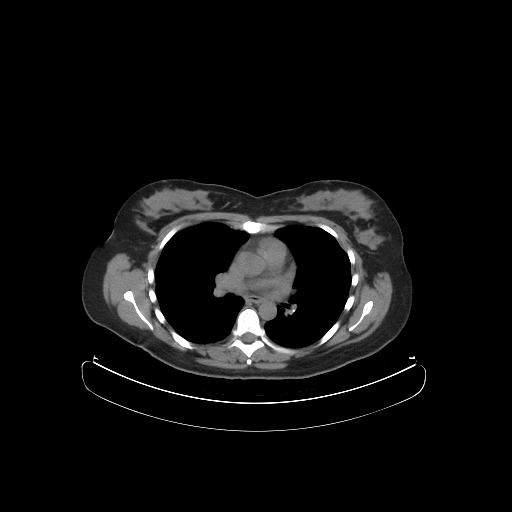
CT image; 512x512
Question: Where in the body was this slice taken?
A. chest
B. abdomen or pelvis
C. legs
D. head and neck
Answer: A. chest
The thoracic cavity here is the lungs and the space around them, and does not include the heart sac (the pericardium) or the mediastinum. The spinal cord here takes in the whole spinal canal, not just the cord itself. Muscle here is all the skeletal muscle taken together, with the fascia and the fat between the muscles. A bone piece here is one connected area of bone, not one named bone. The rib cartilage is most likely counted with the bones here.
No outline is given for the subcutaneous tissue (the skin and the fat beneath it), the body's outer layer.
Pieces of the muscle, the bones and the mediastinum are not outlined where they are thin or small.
{"bones":[{"outer":[[244,308],[252,308],[255,310],[260,324],[271,341],[280,346],[293,349],[295,352],[293,354],[282,353],[264,345],[252,353],[250,356],[251,363],[247,364],[246,355],[238,347],[233,346],[228,348],[226,345],[230,341],[231,331],[236,324],[239,312]],"hole":[[247,332],[249,332],[250,333],[251,333],[252,334],[253,334],[256,337],[256,338],[253,341],[252,341],[251,342],[250,342],[249,343],[247,343],[246,342],[244,342],[241,339],[241,336],[243,334],[244,334],[245,333],[246,333]]},[[247,220],[251,220],[252,221],[256,221],[257,222],[262,222],[263,223],[267,223],[268,224],[281,224],[283,225],[283,226],[271,232],[248,233],[246,231],[242,230],[241,229],[235,229],[231,227],[228,224],[229,222],[238,222],[239,223],[241,223]],[[127,290],[130,290],[133,293],[133,297],[134,298],[134,300],[139,310],[153,326],[153,329],[152,330],[151,330],[149,328],[149,327],[138,315],[138,314],[135,310],[135,308],[133,304],[131,302],[126,300],[123,297],[123,294],[124,292],[125,292]],[[171,330],[174,330],[179,335],[180,335],[185,339],[193,343],[193,344],[195,345],[195,348],[193,349],[189,349],[188,348],[186,348],[185,347],[183,347],[181,346],[174,340],[170,332]],[[369,300],[371,300],[373,302],[373,304],[372,305],[372,307],[370,311],[364,316],[362,320],[351,331],[348,330],[348,328],[350,326],[354,324],[358,320],[358,319],[360,317],[362,313],[362,310],[363,309],[363,306],[364,304]],[[337,320],[338,320],[340,322],[340,324],[339,325],[338,328],[336,330],[336,331],[331,336],[331,337],[330,337],[325,342],[324,342],[321,345],[319,345],[318,346],[316,346],[316,345],[317,344],[318,341],[320,339],[320,338],[335,323],[335,322]],[[178,225],[181,225],[182,226],[181,228],[178,231],[177,231],[166,242],[166,243],[163,246],[162,249],[161,250],[159,250],[158,249],[158,245],[160,243],[160,242],[162,240],[164,236],[173,227],[175,226],[177,226]],[[318,223],[322,223],[323,224],[325,224],[326,225],[329,226],[331,228],[332,228],[337,233],[337,234],[338,235],[338,238],[337,239],[327,231],[324,230],[322,228],[320,228],[319,227],[316,226],[316,225]],[[351,294],[352,294],[354,296],[354,300],[353,301],[353,303],[352,304],[352,305],[351,306],[350,309],[348,311],[345,311],[344,310],[344,306],[345,305],[345,303],[346,302],[346,301],[347,300],[347,299],[348,298],[349,295],[350,295]],[[155,307],[158,307],[159,308],[159,309],[160,310],[160,311],[162,313],[162,314],[164,316],[164,317],[166,320],[166,322],[165,323],[161,323],[159,321],[159,320],[157,318],[157,317],[156,316],[156,315],[154,312],[154,309],[155,308]],[[150,267],[151,267],[152,268],[153,268],[154,269],[154,283],[153,284],[150,284],[149,283],[149,282],[148,281],[148,279],[147,278],[147,272],[148,271],[148,269]],[[348,248],[351,248],[352,249],[352,250],[353,251],[353,253],[354,254],[354,257],[355,258],[355,262],[354,263],[354,264],[353,264],[352,265],[350,262],[350,260],[349,259],[349,257],[348,256],[348,255],[346,252],[346,249],[347,249]],[[150,288],[152,288],[153,289],[154,289],[154,291],[155,292],[155,295],[156,296],[156,299],[157,300],[157,301],[155,303],[153,303],[150,300],[150,298],[149,297],[149,294],[148,293],[148,291],[149,290],[149,289]]],"spinal_cord":[[[247,332],[249,332],[250,333],[251,333],[252,334],[253,334],[256,337],[256,338],[253,341],[252,341],[251,342],[250,342],[249,343],[247,343],[246,342],[244,342],[241,339],[241,336],[243,334],[244,334],[245,333],[246,333]]],"thoracic_cavity":[[[204,222],[226,224],[235,230],[246,232],[248,237],[236,250],[225,271],[228,276],[226,282],[228,290],[243,300],[235,324],[228,337],[219,341],[200,343],[185,338],[167,321],[159,307],[155,291],[155,268],[164,246],[177,232]],[[293,224],[317,227],[335,238],[348,257],[351,280],[348,296],[343,309],[334,323],[318,340],[304,346],[291,348],[271,340],[266,333],[264,325],[277,316],[278,305],[295,292],[293,287],[297,271],[295,259],[288,246],[275,236],[276,230],[286,225]]],"pericardium":[[[267,236],[271,236],[277,238],[287,246],[295,263],[295,271],[293,272],[290,279],[281,288],[279,288],[266,295],[261,295],[259,293],[251,291],[243,283],[242,278],[240,276],[235,265],[235,258],[238,252],[244,246],[253,240],[256,240],[259,238]]],"muscle":[{"outer":[[206,211],[219,211],[220,212],[232,212],[233,213],[246,214],[253,219],[263,215],[267,216],[268,215],[284,215],[285,214],[291,214],[292,215],[293,214],[307,214],[308,215],[316,215],[317,216],[325,217],[335,222],[345,230],[347,235],[352,240],[354,246],[362,259],[363,263],[372,273],[375,274],[379,271],[386,271],[388,272],[390,276],[392,283],[391,301],[388,310],[381,323],[372,333],[359,341],[341,346],[336,349],[321,354],[320,356],[317,356],[315,358],[310,358],[305,361],[296,361],[293,363],[289,363],[286,366],[277,369],[261,369],[253,366],[249,366],[243,369],[234,369],[233,368],[222,368],[221,367],[202,364],[195,361],[193,359],[188,358],[182,355],[170,346],[160,341],[158,341],[153,337],[138,332],[127,326],[121,322],[113,314],[110,310],[109,306],[107,304],[103,295],[103,290],[102,289],[103,277],[106,270],[108,261],[117,253],[126,253],[131,259],[133,259],[138,262],[141,262],[147,258],[152,242],[155,239],[159,231],[166,224],[183,215],[191,213],[205,212]],"holes":[[[247,220],[284,226],[315,227],[322,223],[337,233],[337,241],[343,250],[352,249],[355,262],[350,265],[350,272],[358,274],[358,281],[349,288],[348,294],[352,294],[354,300],[348,311],[343,309],[340,312],[338,328],[321,345],[316,346],[317,340],[295,347],[293,354],[278,352],[264,345],[252,353],[251,363],[247,364],[246,355],[238,347],[227,347],[229,336],[214,342],[194,342],[195,348],[189,349],[174,340],[170,332],[174,329],[167,321],[161,323],[157,318],[154,309],[159,304],[157,301],[153,303],[148,293],[150,288],[155,288],[155,284],[149,283],[147,272],[150,267],[156,267],[161,253],[158,245],[164,236],[178,225],[183,229],[204,222],[227,225]],[[127,290],[130,290],[133,293],[133,297],[134,298],[134,300],[139,310],[153,326],[153,329],[152,330],[151,330],[149,328],[149,327],[138,315],[138,314],[135,310],[135,308],[133,304],[131,302],[126,300],[123,297],[123,294],[124,292],[125,292]],[[369,300],[371,300],[373,302],[373,304],[372,305],[372,307],[370,311],[364,316],[362,320],[351,331],[348,330],[348,328],[350,326],[354,324],[358,320],[358,319],[360,317],[362,313],[362,310],[363,309],[363,306],[364,304]]]}],"torso":[[[165,178],[222,184],[257,196],[321,179],[353,181],[373,189],[392,211],[403,235],[403,254],[413,286],[406,324],[376,353],[310,377],[281,380],[226,379],[181,371],[96,324],[86,314],[81,300],[81,281],[88,258],[110,234],[123,202],[141,186]]],"mediastinum":[[[272,232],[274,236],[262,236],[244,245],[243,247],[237,252],[234,258],[234,259],[234,260],[234,265],[242,283],[251,292],[261,296],[281,289],[295,272],[292,282],[294,292],[277,305],[276,316],[263,326],[254,308],[241,309],[244,300],[229,290],[227,284],[229,276],[226,271],[237,250],[248,239],[249,234]]]}